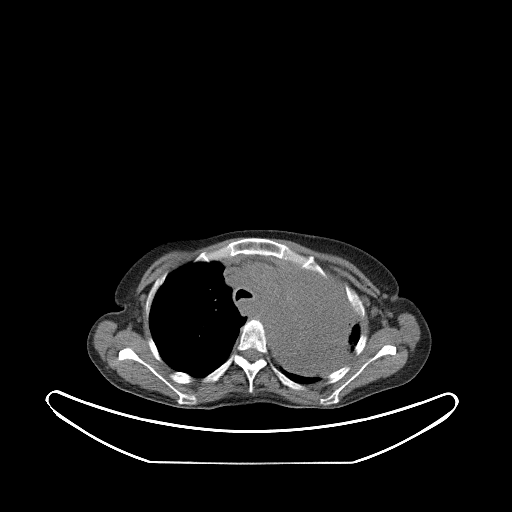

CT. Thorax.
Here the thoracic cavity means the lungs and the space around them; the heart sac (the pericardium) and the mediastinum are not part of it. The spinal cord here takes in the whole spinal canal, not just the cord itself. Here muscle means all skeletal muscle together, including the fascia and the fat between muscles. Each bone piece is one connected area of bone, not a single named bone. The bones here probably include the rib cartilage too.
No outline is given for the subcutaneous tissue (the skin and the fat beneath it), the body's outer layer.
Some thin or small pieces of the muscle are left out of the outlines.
{"torso":[[[244,229],[278,229],[330,237],[357,246],[383,263],[395,277],[399,294],[420,309],[431,333],[430,353],[415,377],[333,409],[290,408],[272,403],[183,409],[111,384],[91,361],[86,339],[100,315],[119,309],[114,291],[125,272],[147,251],[166,241]]],"bones":[{"outer":[[253,318],[263,324],[269,360],[288,378],[304,385],[305,389],[296,390],[284,385],[268,364],[261,368],[253,378],[252,392],[248,390],[249,382],[244,370],[235,363],[232,363],[218,380],[202,381],[203,377],[229,357],[240,334],[240,328],[247,320]],"hole":[[250,348],[253,348],[254,349],[255,349],[259,353],[259,356],[255,360],[254,360],[253,361],[249,361],[244,356],[244,355],[243,354],[243,353],[244,352],[244,351],[245,351],[246,350],[247,350],[248,349],[249,349]]},[[244,237],[269,238],[288,246],[300,255],[313,256],[315,261],[326,273],[327,280],[322,279],[315,273],[301,269],[291,261],[279,259],[274,256],[239,254],[230,258],[224,258],[219,261],[193,261],[203,251],[210,252],[216,250],[232,241]],[[125,347],[131,348],[141,359],[148,363],[160,375],[170,382],[179,391],[183,393],[195,395],[196,397],[196,403],[194,404],[180,404],[178,403],[177,402],[178,395],[146,366],[133,359],[127,358],[126,359],[119,360],[118,359],[118,353],[121,349]],[[386,344],[390,344],[395,346],[396,348],[395,354],[393,355],[392,354],[385,354],[371,361],[356,377],[339,392],[338,394],[339,401],[337,403],[333,403],[327,405],[324,405],[320,403],[319,400],[320,398],[326,397],[334,390],[342,385],[365,362]],[[345,284],[348,284],[354,290],[355,290],[355,291],[358,294],[360,299],[362,301],[362,303],[364,307],[364,315],[361,319],[359,318],[358,316],[354,312],[352,307],[350,305],[347,299],[347,296],[346,295],[346,292],[345,291]],[[165,272],[167,273],[167,275],[164,281],[158,288],[158,289],[156,291],[154,295],[154,297],[152,300],[152,302],[150,306],[148,319],[146,317],[146,314],[145,313],[145,303],[146,302],[146,299],[147,298],[148,292],[151,286],[155,281],[155,280]],[[173,371],[180,371],[181,372],[184,372],[185,373],[187,373],[188,374],[189,374],[190,375],[191,375],[193,377],[193,380],[192,381],[191,381],[189,383],[178,383],[177,382],[175,382],[174,381],[173,381],[169,377],[169,374],[171,372],[172,372]],[[346,365],[349,366],[350,368],[349,370],[344,375],[344,376],[343,376],[340,379],[339,379],[335,382],[333,382],[332,383],[326,383],[326,381],[327,379],[325,378],[327,378],[331,374],[331,373],[335,370],[337,370],[339,368],[343,366],[345,366]],[[360,333],[363,333],[364,334],[365,334],[367,336],[367,339],[366,340],[366,342],[365,343],[365,346],[364,347],[364,348],[361,351],[361,352],[357,355],[355,353],[356,352],[356,348],[355,347],[355,344],[359,339],[359,336],[360,335]],[[150,336],[151,336],[151,337],[157,348],[157,350],[159,353],[159,355],[160,356],[160,357],[162,359],[162,361],[159,361],[157,359],[156,359],[155,358],[155,357],[153,355],[152,352],[150,350],[150,348],[149,347],[149,345],[148,344],[148,338]]],"mediastinum":[[[239,255],[258,255],[264,257],[274,257],[278,259],[276,261],[276,271],[281,282],[280,291],[276,298],[264,311],[263,323],[257,318],[253,317],[247,319],[245,316],[240,314],[232,298],[232,289],[225,283],[223,276],[224,266],[220,261]]],"spinal_cord":[[[250,348],[253,348],[254,349],[255,349],[259,353],[259,356],[255,360],[254,360],[253,361],[249,361],[244,356],[244,355],[243,354],[243,353],[244,352],[244,351],[245,351],[246,350],[247,350],[248,349],[249,349]]],"muscle":[[[229,238],[240,238],[210,251],[203,250],[192,261],[163,272],[147,292],[144,313],[151,335],[147,344],[154,358],[163,360],[173,370],[168,374],[173,382],[189,384],[195,377],[203,383],[214,383],[235,364],[243,370],[247,390],[252,393],[254,378],[268,365],[284,386],[303,391],[306,389],[303,384],[321,379],[332,384],[340,380],[351,368],[343,365],[365,348],[368,336],[360,332],[358,323],[358,318],[361,320],[365,315],[365,307],[356,290],[345,283],[344,293],[328,281],[327,273],[313,255],[300,254],[270,238],[290,240],[340,256],[355,265],[380,292],[366,306],[372,332],[390,317],[403,312],[412,314],[420,327],[420,338],[404,366],[354,389],[340,400],[340,392],[371,362],[396,354],[396,346],[386,343],[342,384],[320,397],[320,404],[257,393],[197,403],[195,394],[179,390],[131,347],[125,346],[117,353],[119,361],[128,359],[143,365],[177,395],[175,401],[125,381],[107,367],[94,347],[98,324],[107,319],[116,322],[120,329],[138,319],[141,306],[136,288],[148,267],[163,254]]],"thoracic_cavity":[[[278,260],[291,262],[301,270],[315,274],[322,280],[338,286],[344,294],[345,292],[346,299],[357,316],[359,335],[354,344],[355,352],[327,377],[314,382],[300,383],[288,377],[275,365],[268,346],[264,317],[265,311],[281,291],[282,282],[277,271]],[[212,261],[217,261],[223,266],[222,276],[224,283],[231,289],[232,301],[239,314],[245,317],[246,320],[239,328],[239,334],[228,357],[206,375],[196,377],[184,371],[174,370],[164,361],[152,337],[149,316],[155,295],[169,273],[190,262],[208,263]]]}